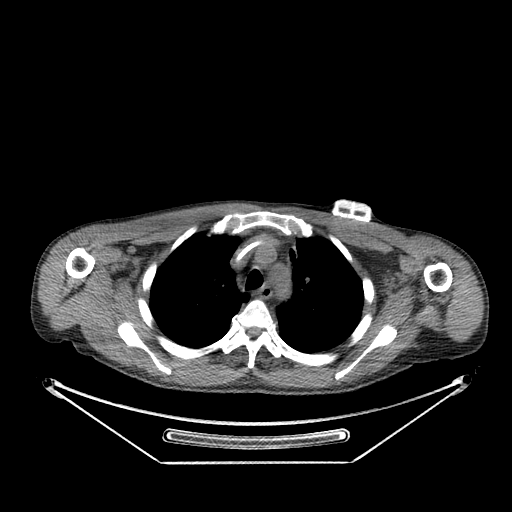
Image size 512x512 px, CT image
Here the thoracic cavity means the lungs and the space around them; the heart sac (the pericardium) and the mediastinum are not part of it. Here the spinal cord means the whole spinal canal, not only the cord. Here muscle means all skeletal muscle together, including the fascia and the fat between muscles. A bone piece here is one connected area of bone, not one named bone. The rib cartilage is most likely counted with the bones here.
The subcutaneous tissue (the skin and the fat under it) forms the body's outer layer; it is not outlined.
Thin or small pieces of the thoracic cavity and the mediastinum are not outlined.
{"left_arm":[[[437,235],[442,236],[454,242],[463,248],[474,259],[485,280],[489,296],[489,322],[488,323],[488,333],[485,342],[474,353],[454,359],[445,359],[432,345],[421,320],[421,316],[419,312],[417,296],[416,295],[415,277],[417,269],[431,242]]],"thoracic_cavity":[[[204,231],[208,237],[223,234],[238,237],[239,242],[228,262],[234,273],[237,289],[246,293],[248,300],[240,304],[240,309],[232,316],[227,331],[220,338],[200,347],[190,347],[175,342],[160,329],[149,306],[150,290],[158,267],[168,256],[191,236]],[[314,235],[328,239],[361,279],[363,305],[361,317],[347,338],[326,351],[310,353],[298,350],[289,345],[279,334],[277,329],[278,323],[275,319],[276,308],[280,304],[287,302],[293,294],[293,268],[290,251],[292,250],[296,256],[297,239],[309,238]]],"mediastinum":[[[255,227],[270,227],[287,236],[297,237],[296,255],[292,249],[289,251],[292,268],[292,294],[287,301],[275,308],[275,318],[262,299],[256,297],[249,300],[249,295],[238,289],[235,273],[229,262],[240,242],[238,236],[230,235],[237,235],[246,229]]],"muscle":[{"outer":[[223,203],[248,203],[262,207],[292,206],[326,211],[335,216],[364,222],[370,220],[408,236],[424,235],[437,239],[469,262],[483,296],[481,323],[466,341],[452,342],[436,335],[419,348],[398,355],[385,367],[370,375],[329,387],[278,387],[258,383],[255,379],[243,384],[185,385],[161,381],[156,376],[121,365],[92,348],[77,326],[61,331],[49,327],[42,314],[37,291],[40,268],[51,248],[60,239],[86,226]],"holes":[[[252,211],[292,214],[311,224],[315,235],[333,235],[349,251],[357,275],[371,279],[374,296],[361,311],[362,316],[371,313],[371,322],[353,345],[346,338],[326,351],[338,353],[334,361],[306,365],[274,357],[263,345],[252,368],[243,345],[183,359],[159,344],[156,336],[165,335],[155,321],[151,328],[143,320],[137,299],[149,303],[142,285],[148,266],[155,261],[158,267],[190,227],[207,232],[227,214]],[[439,261],[445,262],[451,269],[451,272],[452,273],[452,281],[449,288],[447,290],[443,291],[442,292],[436,292],[435,291],[431,290],[426,284],[425,280],[424,279],[424,277],[423,276],[423,270],[426,265],[430,264],[431,263],[436,263]],[[76,247],[83,247],[95,258],[95,263],[93,266],[93,268],[92,270],[85,277],[83,277],[82,278],[74,278],[73,277],[71,277],[67,273],[66,271],[66,269],[65,268],[65,262],[66,261],[66,258],[68,254],[71,250],[72,250]],[[123,321],[129,321],[133,324],[133,327],[137,332],[139,337],[150,350],[154,353],[155,356],[160,362],[162,364],[171,368],[171,373],[170,374],[166,374],[159,370],[150,356],[143,349],[139,347],[130,347],[125,343],[119,336],[117,331],[117,326]],[[385,324],[390,324],[397,330],[397,333],[394,339],[390,343],[385,346],[379,346],[372,349],[369,352],[368,352],[351,369],[350,371],[345,374],[340,379],[336,379],[334,376],[335,373],[345,368],[355,359],[356,359],[371,343],[372,340]],[[356,251],[361,251],[363,253],[377,252],[382,255],[388,256],[386,258],[389,260],[390,264],[388,268],[381,274],[382,277],[381,279],[382,284],[381,288],[379,289],[377,288],[377,286],[374,282],[369,270],[363,265],[363,263],[357,256],[355,252]],[[153,245],[158,246],[157,247],[158,248],[157,249],[156,248],[153,251],[152,254],[146,261],[146,263],[142,271],[140,273],[141,265],[142,264],[142,261],[144,259],[144,257],[141,255],[136,254],[138,252],[139,248],[140,247],[152,246]]]}],"bones":[{"outer":[[256,298],[265,303],[278,334],[289,346],[310,354],[336,352],[338,357],[330,363],[315,366],[274,357],[263,345],[252,368],[247,366],[249,354],[243,345],[229,353],[218,349],[183,359],[156,339],[162,335],[190,348],[211,344],[228,331],[233,316]],"hole":[[251,327],[257,327],[258,328],[259,328],[260,329],[261,329],[261,331],[260,332],[260,333],[259,334],[259,335],[258,336],[257,336],[255,338],[251,338],[247,334],[247,329],[248,329],[249,328],[250,328]]},[[252,211],[270,211],[282,214],[292,214],[311,224],[314,234],[309,237],[298,237],[295,234],[287,235],[279,229],[270,226],[255,226],[246,228],[237,234],[223,233],[222,234],[212,234],[208,236],[207,232],[211,226],[225,215],[235,212],[247,213]],[[439,261],[445,262],[451,269],[451,272],[452,273],[452,281],[449,288],[447,290],[443,291],[442,292],[436,292],[435,291],[431,290],[426,284],[425,280],[424,279],[424,277],[423,276],[423,270],[426,265],[430,264],[431,263],[436,263]],[[76,247],[83,247],[95,258],[95,263],[93,266],[93,268],[92,270],[85,277],[83,277],[82,278],[74,278],[73,277],[71,277],[67,273],[66,271],[66,269],[65,268],[65,262],[66,261],[66,258],[68,254],[71,250],[72,250]],[[123,321],[129,321],[133,324],[133,327],[137,332],[139,337],[150,350],[154,353],[155,356],[160,362],[162,364],[171,368],[171,373],[170,374],[166,374],[159,370],[150,356],[143,349],[139,347],[130,347],[125,343],[119,336],[117,331],[117,326]],[[385,324],[390,324],[397,330],[397,333],[394,339],[390,343],[385,346],[379,346],[372,349],[369,352],[368,352],[351,369],[350,371],[345,374],[340,379],[336,379],[334,376],[335,373],[345,368],[355,359],[356,359],[371,343],[372,340]],[[368,312],[370,312],[372,315],[372,319],[371,320],[371,322],[370,323],[368,328],[363,334],[363,335],[361,338],[360,338],[353,345],[352,345],[351,346],[348,346],[348,343],[349,342],[349,339],[348,338],[349,337],[349,336],[359,323],[362,316]],[[139,297],[142,297],[147,302],[148,304],[148,306],[149,307],[150,312],[154,319],[154,322],[153,323],[153,326],[152,328],[149,327],[147,325],[147,324],[143,320],[140,314],[140,312],[139,311],[139,308],[138,307],[138,304],[137,303],[137,299]],[[153,261],[155,261],[156,262],[157,264],[157,268],[156,269],[156,271],[155,272],[155,274],[154,275],[154,277],[153,278],[153,280],[152,281],[149,292],[145,292],[143,290],[143,286],[142,285],[143,274],[145,270],[148,267],[148,266]],[[364,276],[367,276],[368,277],[369,277],[371,279],[371,280],[373,283],[373,287],[374,288],[374,296],[373,297],[373,299],[372,300],[372,301],[370,304],[368,304],[367,303],[364,302],[364,294],[363,293],[363,285],[362,284],[362,278]],[[194,225],[197,226],[197,231],[195,233],[194,233],[192,235],[191,235],[188,238],[187,238],[185,240],[184,240],[172,252],[171,252],[169,254],[169,250],[170,249],[172,244],[174,242],[174,241],[186,230],[187,230],[190,227],[191,227]],[[329,234],[331,234],[332,235],[333,235],[335,237],[336,237],[347,248],[347,249],[349,251],[349,252],[350,253],[350,254],[352,257],[352,264],[351,264],[346,259],[346,258],[342,254],[342,253],[338,249],[338,248],[328,238],[328,235]]],"torso":[[[226,199],[314,205],[352,200],[365,204],[387,223],[437,234],[416,269],[414,285],[424,331],[431,345],[444,359],[416,363],[386,379],[349,392],[271,395],[205,393],[159,388],[126,376],[90,356],[77,353],[72,344],[82,330],[106,218],[193,202]]],"spinal_cord":[[[251,327],[257,327],[258,328],[259,328],[260,329],[261,329],[261,331],[260,332],[260,333],[259,334],[259,335],[258,336],[257,336],[255,338],[251,338],[247,334],[247,329],[248,329],[249,328],[250,328]]],"right_arm":[[[104,218],[105,218],[104,224],[102,229],[99,247],[97,252],[85,311],[81,325],[81,330],[72,343],[69,341],[63,341],[60,343],[49,343],[42,339],[36,333],[32,326],[29,313],[31,286],[34,270],[37,261],[48,243],[62,232],[79,224]]]}